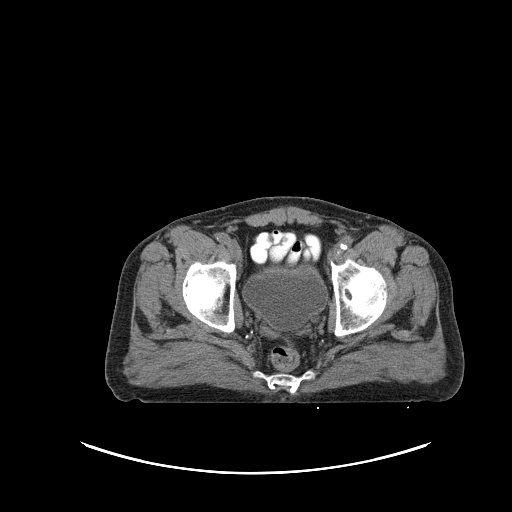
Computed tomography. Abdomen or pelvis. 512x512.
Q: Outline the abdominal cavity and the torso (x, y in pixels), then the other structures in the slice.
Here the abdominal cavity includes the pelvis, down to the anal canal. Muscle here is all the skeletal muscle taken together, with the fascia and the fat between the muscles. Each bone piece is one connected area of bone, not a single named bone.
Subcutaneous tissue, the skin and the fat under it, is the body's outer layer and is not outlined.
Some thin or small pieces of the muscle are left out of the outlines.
A: {"abdominal_cavity":[[[269,223],[281,226],[330,225],[335,232],[336,240],[326,254],[326,270],[332,293],[325,342],[309,367],[295,375],[283,372],[267,372],[262,367],[244,332],[244,314],[238,293],[239,282],[244,268],[244,251],[239,238],[239,229],[246,225],[259,227]]],"torso":[[[275,195],[318,198],[384,217],[420,235],[437,250],[451,276],[454,312],[465,361],[462,383],[452,397],[436,403],[424,400],[317,405],[145,403],[138,399],[122,401],[113,395],[105,381],[104,360],[119,276],[130,251],[146,236],[180,217],[251,198]]],"muscle":[{"outer":[[279,206],[296,206],[318,214],[332,216],[353,223],[389,225],[405,232],[426,249],[438,281],[438,309],[446,349],[445,375],[443,378],[432,383],[380,382],[352,384],[299,396],[289,395],[286,391],[279,391],[269,395],[260,392],[239,391],[206,384],[152,388],[138,386],[128,382],[124,377],[123,359],[129,345],[130,323],[133,311],[134,282],[137,275],[140,254],[145,246],[159,234],[180,224],[221,222]],"holes":[[[269,223],[334,228],[336,240],[326,254],[332,291],[331,262],[347,258],[374,267],[386,282],[381,315],[343,336],[334,335],[332,292],[325,342],[308,368],[316,375],[293,394],[253,376],[256,370],[269,373],[244,332],[238,293],[244,268],[239,229]],[[217,260],[224,260],[228,263],[231,262],[234,263],[236,266],[235,291],[233,296],[233,313],[235,328],[231,332],[224,332],[219,329],[214,328],[195,317],[188,310],[182,294],[182,283],[184,277],[188,267],[193,262],[199,261],[205,264],[212,263]]]}],"bones":[[[347,258],[350,258],[354,260],[360,265],[371,266],[377,269],[381,273],[386,282],[387,298],[385,307],[381,315],[365,329],[343,336],[336,336],[334,335],[336,306],[335,305],[335,299],[333,291],[333,284],[331,279],[331,262],[336,264],[340,264]],[[217,260],[224,260],[228,263],[231,262],[234,263],[236,266],[235,291],[233,296],[233,313],[235,328],[231,332],[224,332],[219,329],[214,328],[195,317],[188,310],[182,294],[182,283],[184,277],[188,267],[193,262],[199,261],[205,264],[212,263]],[[309,369],[315,372],[316,374],[315,377],[313,379],[302,380],[293,394],[291,394],[288,391],[289,388],[288,386],[277,385],[275,389],[270,389],[267,385],[267,382],[263,378],[254,377],[252,374],[254,371],[260,370],[266,374],[283,373],[298,376]]]}